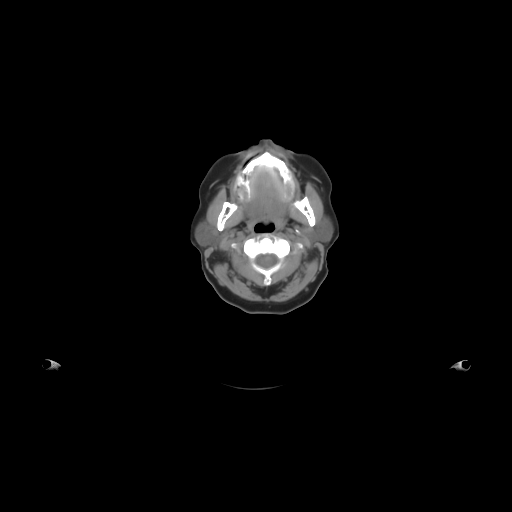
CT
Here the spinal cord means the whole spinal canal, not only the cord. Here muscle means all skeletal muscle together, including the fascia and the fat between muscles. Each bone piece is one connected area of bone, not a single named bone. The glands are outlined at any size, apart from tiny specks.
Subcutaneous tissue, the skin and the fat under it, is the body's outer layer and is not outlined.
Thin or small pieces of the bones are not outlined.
The bones appear in 5 outlined pieces: piece 1: 270 233; 272 233; 278 237; 287 239; 291 244; 290 245; 290 252; 285 258; 283 265; 271 275; 271 283; 269 285; 265 285; 264 284; 264 276; 252 268; 248 258; 243 252; 243 242; 246 239; 251 237; 255 237; 258 234; 269 234, around a hole outlined by 259 254; 274 254; 277 257; 277 262; 276 263; 275 263; 273 265; 272 265; 270 267; 268 267; 267 268; 265 268; 264 267; 262 267; 261 266; 260 266; 258 264; 257 264; 255 262; 255 258; piece 2: 266 150; 284 161; 293 173; 295 188; 292 195; 290 188; 287 185; 284 187; 283 177; 280 176; 275 166; 258 164; 253 171; 247 174; 251 180; 250 194; 247 196; 243 189; 243 197; 241 198; 238 189; 234 186; 236 175; 249 160; piece 3: 305 195; 306 195; 308 198; 309 203; 313 210; 313 212; 315 216; 315 220; 316 221; 315 222; 315 224; 313 226; 310 226; 309 225; 308 223; 308 221; 306 217; 293 204; 295 200; 299 200; 301 199; piece 4: 224 201; 228 201; 231 203; 235 203; 237 206; 237 208; 230 215; 230 216; 226 220; 226 221; 224 224; 224 228; 221 231; 219 231; 217 229; 217 228; 216 227; 216 223; 217 222; 217 218; 218 217; 218 215; 222 208; 222 204; piece 5: 297 242; 299 242; 300 243; 301 243; 302 244; 302 245; 303 246; 303 247; 301 249; 298 249; 297 250; 297 251; 296 252; 293 252; 293 251; 294 251; 295 250; 295 246; 294 245; 294 244; 295 243; 296 243. The head and neck is outlined by 263 137; 293 151; 306 152; 323 165; 332 182; 331 201; 340 224; 339 236; 327 254; 326 278; 309 302; 282 315; 247 313; 222 300; 204 277; 200 254; 191 245; 189 238; 190 222; 199 203; 198 188; 211 164; 218 157; 239 151 with a hole at 269 222; 272 222; 273 223; 273 225; 274 226; 274 228; 273 229; 273 231; 272 232; 270 232; 269 233; 258 233; 257 232; 256 232; 255 231; 255 226; 256 225; 256 224; 257 223; 263 223; 265 225; 267 223; 268 223. The parotid glands appear in 2 outlined pieces: piece 1: 205 217; 206 218; 206 220; 207 222; 210 225; 213 226; 214 228; 214 231; 215 232; 215 239; 213 243; 212 243; 210 245; 208 245; 205 247; 202 247; 200 246; 197 243; 194 237; 194 229; 196 226; 196 224; 199 221; 199 220; piece 2: 321 214; 326 214; 328 216; 329 216; 331 218; 333 222; 333 225; 334 226; 333 235; 331 239; 326 243; 323 243; 321 241; 318 241; 314 233; 314 230; 316 227; 316 224; 318 222; 319 222; 321 219; 321 217; 322 216. The spinal cord is outlined by 259 254; 274 254; 277 257; 277 262; 276 263; 275 263; 273 265; 272 265; 270 267; 268 267; 267 268; 265 268; 264 267; 262 267; 261 266; 260 266; 258 264; 257 264; 255 262; 255 258. The muscle is outlined by 265 145; 293 156; 297 162; 322 181; 323 187; 321 195; 325 213; 320 214; 320 219; 316 223; 314 210; 306 194; 295 199; 292 203; 305 217; 310 227; 315 225; 313 233; 317 241; 324 244; 322 268; 315 280; 308 286; 308 290; 283 303; 251 302; 232 294; 221 286; 208 271; 204 255; 204 248; 213 244; 216 239; 214 226; 204 217; 209 201; 209 185; 226 168; 235 164; 240 156; inner edges: 269 222; 272 222; 274 226; 272 233; 278 237; 287 239; 291 244; 290 252; 285 258; 283 265; 271 275; 271 283; 269 285; 265 285; 264 276; 252 268; 248 258; 243 252; 243 242; 258 234; 255 231; 257 223; 263 223; 265 225, then 266 150; 284 161; 293 173; 295 188; 292 195; 290 188; 287 185; 284 187; 283 177; 280 176; 275 166; 258 164; 253 171; 247 174; 251 180; 250 194; 247 196; 243 189; 243 197; 241 198; 238 189; 234 186; 236 175; 249 160, then 224 201; 228 201; 231 203; 235 203; 237 206; 237 208; 230 215; 230 216; 226 220; 226 221; 224 224; 224 228; 221 231; 219 231; 217 229; 217 228; 216 227; 216 223; 217 222; 217 218; 218 217; 218 215; 222 208; 222 204, then 297 242; 299 242; 300 243; 301 243; 302 244; 302 245; 303 246; 303 247; 301 249; 298 249; 297 250; 297 251; 296 252; 293 252; 293 251; 294 251; 295 250; 295 246; 294 245; 294 244; 295 243; 296 243.